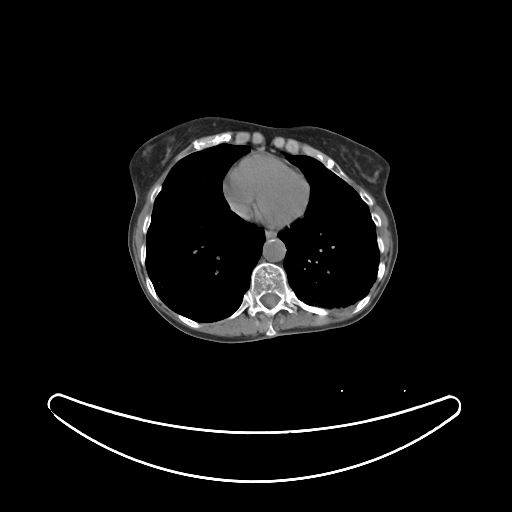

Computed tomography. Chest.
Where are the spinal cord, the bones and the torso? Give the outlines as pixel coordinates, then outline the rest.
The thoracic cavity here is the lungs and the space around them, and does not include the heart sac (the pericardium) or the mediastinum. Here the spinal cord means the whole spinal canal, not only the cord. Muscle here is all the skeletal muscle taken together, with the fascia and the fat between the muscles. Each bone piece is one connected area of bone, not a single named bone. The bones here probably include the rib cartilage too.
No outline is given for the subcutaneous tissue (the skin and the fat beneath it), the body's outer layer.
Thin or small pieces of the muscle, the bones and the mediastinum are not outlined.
Outlines:
spinal cord: 268 293; 273 293; 274 294; 275 294; 277 296; 278 296; 279 297; 279 299; 278 300; 278 301; 275 304; 275 305; 274 305; 272 307; 267 307; 261 301; 261 298; 262 297; 262 296; 263 296; 265 294; 267 294
bones 1: 262 262; 282 267; 286 274; 287 283; 296 296; 308 305; 328 309; 328 314; 320 316; 296 305; 293 313; 281 309; 271 317; 262 311; 258 311; 252 316; 246 309; 237 316; 227 319; 240 307; 243 296; 250 287; 252 271; 257 264, around a hole outlined by 268 293; 273 293; 274 294; 275 294; 277 296; 278 296; 279 297; 279 299; 278 300; 278 301; 275 304; 275 305; 274 305; 272 307; 267 307; 261 301; 261 298; 262 297; 262 296; 263 296; 265 294; 267 294
bones 2: 223 132; 230 132; 233 137; 242 132; 248 133; 251 137; 255 133; 260 133; 262 135; 262 139; 259 143; 254 143; 250 139; 244 144; 235 144; 233 138; 229 142; 222 142; 194 151; 185 155; 175 162; 174 158; 190 145; 193 140
bones 3: 278 136; 282 137; 286 142; 289 139; 293 139; 299 146; 301 144; 307 145; 332 158; 346 175; 347 178; 346 181; 327 168; 319 160; 309 155; 303 153; 294 154; 288 152; 284 148; 277 148; 274 145; 273 140; 274 138
bones 4: 369 293; 369 294; 370 295; 370 297; 369 298; 369 301; 367 303; 367 304; 361 310; 360 310; 358 312; 357 312; 356 313; 353 313; 352 312; 352 311; 354 309; 354 308; 355 307; 357 302; 359 300; 361 300; 362 299; 363 299
bones 5: 177 314; 178 314; 179 315; 181 315; 182 316; 183 316; 192 321; 194 321; 195 322; 197 322; 198 323; 201 323; 201 326; 198 328; 192 328; 191 327; 188 326; 186 324; 185 324; 181 320; 180 320; 180 319; 177 316
bones 6: 146 276; 147 276; 148 277; 148 278; 150 280; 150 281; 153 286; 153 288; 154 289; 154 291; 155 292; 155 293; 158 296; 159 299; 161 301; 160 302; 159 302; 158 301; 155 300; 148 291; 148 290; 147 289; 147 287; 146 286
bones 7: 361 190; 362 191; 364 191; 365 192; 366 192; 370 196; 370 197; 372 199; 372 201; 373 202; 373 204; 371 206; 369 206; 361 198; 361 197; 359 195; 359 194; 358 193; 358 192; 359 191; 360 191
bones 8: 158 184; 161 184; 161 189; 158 192; 158 193; 155 196; 155 197; 154 198; 154 200; 153 201; 153 203; 152 203; 150 201; 150 195; 151 194; 151 192; 153 190; 153 189; 154 188; 154 187; 156 185; 157 185
bones 9: 143 244; 145 244; 145 259; 144 260; 144 264; 145 265; 144 266; 143 266; 142 265; 142 264; 141 263; 141 261; 140 260; 140 251; 141 250; 141 246
bones 10: 372 212; 374 212; 375 213; 376 213; 380 217; 380 219; 381 220; 381 225; 380 226; 376 226; 376 225; 375 224; 375 223; 374 222; 374 221; 372 219; 372 216; 371 215; 371 213
bones 11: 270 320; 272 323; 272 326; 273 327; 273 328; 274 329; 274 330; 276 333; 274 335; 273 335; 272 336; 269 336; 266 334; 266 332; 268 329; 268 323
torso: 204 116; 222 116; 272 127; 318 126; 370 147; 388 161; 390 174; 386 195; 396 223; 398 252; 383 293; 365 316; 341 328; 242 343; 219 343; 180 331; 152 307; 138 283; 128 251; 127 231; 135 202; 128 163; 135 150; 149 138
mediastinum: 246 220; 251 221; 260 226; 262 226; 266 230; 269 231; 281 230; 277 233; 277 236; 285 244; 286 247; 286 254; 283 259; 282 266; 276 263; 268 261; 262 261; 258 263; 258 260; 262 254; 262 248; 265 241; 265 233; 262 227
thoracic cavity 1: 222 143; 246 144; 251 147; 246 155; 237 159; 229 168; 222 180; 222 190; 234 212; 262 228; 264 241; 261 254; 250 274; 249 287; 239 307; 225 318; 198 322; 168 307; 156 293; 145 266; 146 234; 155 198; 172 167; 185 156
thoracic cavity 2: 287 153; 303 154; 319 161; 351 186; 368 206; 375 225; 379 261; 376 278; 368 293; 356 303; 345 307; 331 308; 308 304; 297 296; 288 283; 287 274; 283 267; 287 247; 278 233; 305 216; 311 192; 305 175; 299 167; 288 161
muscle 1: 354 304; 351 312; 356 314; 352 317; 317 326; 276 331; 270 319; 265 333; 255 335; 220 336; 193 329; 200 328; 202 323; 231 320; 246 310; 252 317; 262 312; 271 318; 281 310; 293 314; 297 306; 325 317; 329 314; 329 309
muscle 2: 347 176; 362 186; 374 198; 376 203; 385 213; 393 245; 391 259; 384 281; 376 295; 363 310; 370 301; 370 288; 376 279; 377 281; 382 279; 386 268; 386 264; 383 261; 380 261; 380 253; 381 254; 384 251; 384 242; 376 232; 376 227; 380 227; 382 225; 382 220; 376 212; 371 212; 369 209; 369 207; 374 204; 371 196; 364 190; 361 189; 357 191; 347 182
muscle 3: 173 159; 175 163; 168 171; 168 173; 165 176; 162 183; 156 184; 150 192; 149 201; 152 204; 152 210; 150 214; 147 214; 144 217; 142 222; 141 230; 142 233; 145 235; 145 243; 143 243; 140 246; 139 260; 141 265; 143 267; 145 267; 147 273; 147 275; 145 276; 146 289; 139 275; 135 259; 135 254; 133 248; 134 230; 139 214; 144 206; 147 193; 153 184; 165 171
muscle 4: 150 295; 155 301; 159 303; 162 302; 168 308; 169 308; 171 310; 175 312; 176 313; 176 316; 179 319; 179 320; 187 326; 176 321; 174 319; 170 317; 167 314; 166 314; 163 311; 162 311; 154 302; 154 301; 152 299
muscle 5: 263 135; 268 141; 271 140; 273 138; 272 140; 272 143; 277 149; 284 149; 285 150; 280 150; 279 149; 275 149; 274 148; 271 148; 270 147; 259 147; 258 145; 255 145; 251 143; 247 143; 250 140; 254 144; 259 144; 263 139
pericardium: 258 148; 270 148; 278 151; 286 159; 288 163; 297 168; 303 174; 309 186; 310 192; 309 201; 303 215; 299 219; 294 221; 291 225; 281 229; 269 230; 266 229; 262 225; 246 219; 232 209; 224 194; 223 182; 230 168; 238 160